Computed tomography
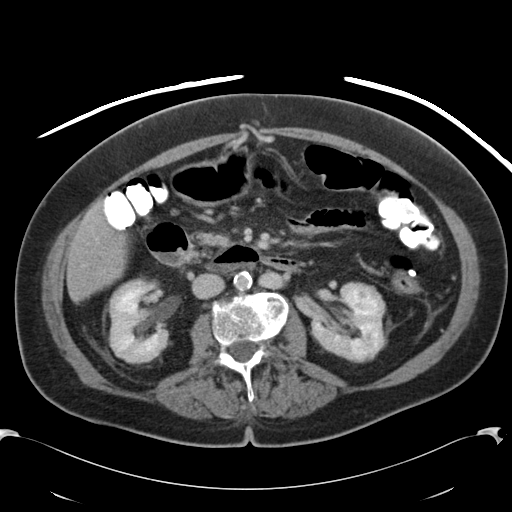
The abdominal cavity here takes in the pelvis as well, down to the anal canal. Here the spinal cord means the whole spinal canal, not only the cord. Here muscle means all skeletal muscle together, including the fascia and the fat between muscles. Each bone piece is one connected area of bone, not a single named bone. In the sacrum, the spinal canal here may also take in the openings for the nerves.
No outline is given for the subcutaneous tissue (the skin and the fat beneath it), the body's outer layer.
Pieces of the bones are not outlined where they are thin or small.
Outlined structures:
spinal cord: 238 341; 250 341; 251 342; 253 342; 254 343; 255 343; 257 346; 257 348; 256 349; 256 350; 253 353; 253 354; 247 360; 246 360; 245 361; 239 361; 238 360; 235 359; 228 352; 228 347; 233 343; 234 343; 235 342; 237 342
torso: 236 93; 309 94; 376 109; 440 144; 480 183; 503 230; 508 280; 495 341; 466 381; 353 433; 280 448; 250 442; 242 447; 204 448; 157 440; 70 415; 32 384; 17 342; 14 280; 24 232; 45 193; 78 158; 125 126; 179 104
abdominal cavity: 245 133; 365 155; 425 192; 460 261; 449 322; 393 370; 351 384; 307 359; 306 327; 282 294; 239 293; 228 301; 213 300; 211 316; 205 312; 195 319; 187 367; 152 388; 118 385; 76 344; 64 316; 64 272; 82 218; 134 176
muscle: 286 126; 304 127; 305 128; 311 128; 312 129; 326 131; 354 140; 381 153; 400 165; 423 183; 448 206; 452 208; 462 219; 471 234; 475 243; 478 256; 478 262; 479 263; 480 283; 479 284; 479 295; 474 312; 471 316; 468 325; 454 344; 445 353; 439 361; 410 380; 388 387; 370 389; 369 390; 361 390; 339 395; 326 405; 317 409; 314 412; 308 415; 302 417; 298 417; 294 419; 286 419; 282 417; 276 419; 267 418; 266 417; 254 417; 248 419; 243 419; 240 421; 235 421; 231 419; 226 419; 221 421; 205 421; 204 420; 202 421; 178 415; 158 403; 150 403; 139 399; 125 397; 120 395; 115 395; 85 385; 80 380; 75 370; 62 356; 55 342; 53 340; 44 316; 44 312; 42 308; 42 303; 41 302; 41 281; 42 280; 43 267; 52 244; 60 231; 69 221; 88 205; 98 194; 100 190; 109 185; 129 170; 173 146; 203 136; 213 135; 225 132; 234 132; 240 129; 263 128; 264 127; 285 127, around a hole outlined by 245 133; 365 155; 425 192; 460 261; 449 322; 393 370; 351 384; 307 359; 306 327; 289 303; 251 370; 249 401; 242 375; 214 363; 220 344; 205 312; 189 329; 187 367; 152 388; 118 385; 64 316; 82 218; 134 176
bones: 263 291; 282 295; 289 309; 286 322; 279 333; 265 341; 265 348; 270 354; 264 356; 251 370; 254 396; 252 401; 249 401; 242 375; 224 365; 214 363; 220 352; 220 344; 212 332; 211 309; 215 300; 220 303; 228 302; 235 295, around a hole outlined by 238 341; 250 341; 251 342; 253 342; 254 343; 255 343; 257 346; 257 348; 256 349; 256 350; 253 353; 253 354; 247 360; 246 360; 245 361; 239 361; 238 360; 235 359; 228 352; 228 347; 233 343; 234 343; 235 342; 237 342